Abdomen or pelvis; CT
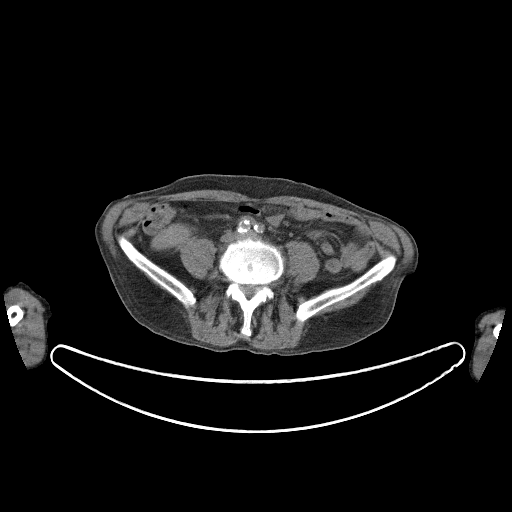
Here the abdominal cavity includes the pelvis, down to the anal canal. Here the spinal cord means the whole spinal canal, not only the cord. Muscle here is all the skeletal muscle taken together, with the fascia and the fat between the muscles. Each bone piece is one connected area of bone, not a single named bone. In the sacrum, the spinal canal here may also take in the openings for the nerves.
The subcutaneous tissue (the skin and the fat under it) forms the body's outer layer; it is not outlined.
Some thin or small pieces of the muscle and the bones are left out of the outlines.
{"torso":[[[206,173],[301,181],[327,189],[404,226],[416,241],[418,265],[415,272],[401,283],[387,323],[366,338],[342,348],[286,356],[256,354],[247,350],[212,351],[170,340],[139,324],[123,305],[110,279],[95,240],[95,224],[113,199],[156,188],[184,176]]],"muscle":[[[203,189],[229,190],[260,199],[296,196],[363,212],[401,229],[411,242],[413,256],[408,265],[372,287],[357,303],[312,318],[307,332],[294,347],[260,349],[244,340],[227,346],[203,342],[191,335],[190,328],[180,311],[180,305],[179,303],[154,285],[139,270],[186,309],[193,307],[197,298],[183,282],[199,287],[203,286],[206,281],[194,277],[183,265],[180,257],[180,248],[192,238],[209,239],[213,242],[215,247],[213,265],[215,267],[218,265],[226,278],[224,296],[235,301],[241,309],[242,324],[239,331],[246,337],[252,335],[251,321],[255,309],[274,298],[275,293],[271,285],[282,276],[285,270],[285,258],[289,257],[287,250],[295,243],[308,244],[319,260],[316,276],[301,286],[298,291],[309,298],[300,300],[297,304],[294,318],[299,323],[382,280],[394,269],[398,259],[393,253],[381,258],[372,228],[357,216],[340,215],[327,209],[306,205],[186,199],[151,201],[131,241],[122,234],[116,236],[117,244],[127,258],[122,256],[116,259],[112,256],[101,233],[103,218],[114,204],[146,196]],[[13,288],[21,288],[27,291],[40,302],[45,310],[43,316],[45,346],[44,353],[40,361],[33,364],[29,368],[27,368],[24,364],[10,327],[14,327],[23,318],[24,310],[17,303],[9,305],[6,310],[4,302],[4,294],[9,289],[10,290]],[[496,310],[505,310],[505,314],[502,322],[497,323],[492,329],[492,333],[497,340],[492,354],[481,376],[479,379],[477,379],[477,377],[473,372],[473,361],[476,346],[478,343],[478,340],[481,336],[481,333],[478,326],[481,318]]],"spinal_cord":[[[247,284],[250,284],[251,285],[261,285],[262,286],[262,287],[258,291],[257,291],[252,296],[251,296],[250,297],[247,297],[245,295],[245,294],[244,293],[244,292],[241,289],[241,285],[246,285]]],"abdominal_cavity":[[[184,200],[306,206],[357,217],[371,228],[380,259],[352,281],[306,297],[299,291],[320,269],[308,243],[292,244],[287,258],[259,237],[238,238],[226,245],[215,266],[214,242],[192,237],[179,248],[179,257],[205,283],[188,284],[132,242],[151,202]]],"left_arm":[[[499,305],[503,305],[504,306],[505,308],[505,314],[501,323],[500,329],[498,332],[497,340],[492,354],[481,376],[479,379],[475,382],[473,381],[468,373],[468,363],[470,359],[470,354],[471,353],[472,345],[474,340],[474,320],[476,316],[482,311]]],"bones":[{"outer":[[247,237],[254,240],[259,238],[278,247],[284,258],[284,270],[281,276],[270,285],[274,293],[273,298],[267,299],[252,312],[251,335],[249,336],[242,334],[240,331],[243,324],[243,312],[235,300],[225,296],[228,281],[219,268],[221,254],[227,245]],"hole":[[247,284],[250,284],[251,285],[261,285],[262,286],[262,287],[258,291],[257,291],[252,296],[251,296],[250,297],[247,297],[245,295],[245,294],[244,293],[244,292],[241,289],[241,285],[246,285]]},[[393,254],[396,256],[397,259],[396,260],[396,263],[393,269],[382,279],[373,282],[350,296],[325,307],[303,322],[297,321],[295,318],[295,313],[298,304],[300,301],[304,301],[310,298],[312,298],[328,289],[340,287],[352,282],[361,276],[381,259]],[[118,235],[124,236],[129,240],[140,252],[152,262],[176,277],[187,286],[188,288],[191,290],[196,298],[195,304],[193,306],[186,308],[182,303],[173,295],[161,287],[151,279],[143,271],[139,269],[131,261],[130,261],[118,244],[117,241],[117,236]],[[14,304],[17,304],[23,310],[23,316],[22,317],[22,318],[14,326],[11,326],[10,325],[10,323],[9,322],[9,320],[8,319],[8,315],[6,313],[6,312],[7,311],[7,309],[8,308],[8,307],[9,306],[10,306],[11,305],[13,305]]],"right_arm":[[[19,281],[22,281],[28,284],[32,289],[43,296],[48,301],[51,310],[51,317],[47,325],[48,332],[47,357],[41,365],[33,369],[28,369],[26,367],[19,353],[10,327],[8,315],[6,313],[7,311],[6,306],[4,302],[3,294],[4,289]]]}